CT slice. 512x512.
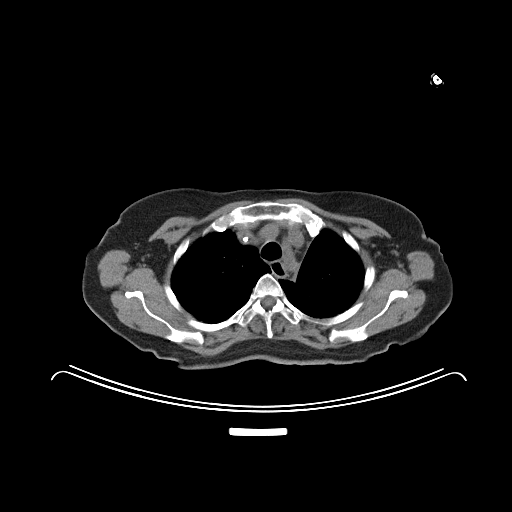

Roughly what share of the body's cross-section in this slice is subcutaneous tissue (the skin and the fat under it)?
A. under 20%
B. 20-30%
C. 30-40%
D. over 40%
Answer: C. 30-40%
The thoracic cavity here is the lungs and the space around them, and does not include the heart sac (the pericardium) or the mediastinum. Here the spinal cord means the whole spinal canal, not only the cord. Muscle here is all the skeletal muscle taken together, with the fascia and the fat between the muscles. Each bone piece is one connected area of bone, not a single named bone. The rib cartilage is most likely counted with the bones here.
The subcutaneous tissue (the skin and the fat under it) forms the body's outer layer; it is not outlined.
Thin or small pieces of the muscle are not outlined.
spinal cord: 266,296 271,296 272,297 273,297 275,299 275,302 274,303 274,304 270,308 268,308 267,309 266,308 265,308 262,305 262,304 261,303 261,300 264,297 265,297
torso: 177,187 357,190 397,201 417,215 425,233 439,244 453,279 451,303 419,338 403,345 392,344 364,362 298,365 254,359 221,368 179,368 172,360 142,351 113,332 87,306 81,289 87,251 121,211 141,197
bones 1: 266,273 278,280 295,307 315,318 332,317 356,302 363,302 352,316 330,326 303,319 292,324 277,312 272,316 271,338 267,337 264,318 256,314 245,326 233,323 204,331 202,344 194,340 173,342 164,337 170,332 168,327 150,316 137,297 125,296 126,291 140,290 151,312 176,329 194,331 186,322 189,317 210,324 226,320 246,303 258,279; inner edge: 266,296 271,296 272,297 273,297 275,299 275,302 274,303 274,304 270,308 268,308 267,309 266,308 265,308 262,305 262,304 261,303 261,300 264,297 265,297
bones 2: 264,200 281,203 299,203 318,215 325,222 326,227 322,228 314,237 310,235 302,223 289,225 285,220 272,219 251,222 247,225 237,224 221,232 211,231 202,236 202,232 207,226 223,214 228,213 233,208
bones 3: 394,289 406,290 407,296 405,298 403,297 395,298 380,316 368,324 365,329 368,334 367,338 364,340 355,342 345,337 338,337 333,342 329,340 328,337 332,328 339,330 358,327 377,314 384,307 390,292
bones 4: 370,264 372,264 375,267 375,277 374,278 374,280 373,281 373,282 372,283 372,284 370,286 370,287 366,291 363,291 362,290 362,289 363,288 363,282 364,281 364,276 365,275 365,268 367,266 368,266
bones 5: 188,236 190,238 190,244 188,246 187,249 184,252 184,253 178,259 178,260 176,262 176,263 173,266 173,264 172,263 172,259 173,258 173,254 174,253 176,248 182,241 182,240 183,240 186,237 187,237
bones 6: 165,283 169,283 170,284 171,289 173,291 173,292 174,293 176,298 180,303 181,306 184,309 184,310 183,311 179,311 171,303 170,303 170,302 168,300 168,299 166,296 165,291 164,290 164,284
bones 7: 343,230 345,230 346,231 347,231 356,240 356,241 358,243 358,244 359,245 359,249 360,250 359,251 359,253 358,253 357,252 356,252 349,245 348,245 346,243 346,242 344,240 344,239 341,236 341,232
mediastinum: 264,220 282,221 286,222 289,226 302,224 309,235 313,238 301,262 294,281 285,278 276,278 271,273 270,268 259,257 257,250 254,247 241,244 235,234 230,229 231,227 237,225 247,226 251,223 257,223
muscle 1: 290,197 305,199 332,212 367,218 384,228 390,238 376,236 371,239 380,271 397,267 399,262 405,263 406,254 411,251 426,251 434,261 434,275 425,283 427,297 422,310 413,319 369,337 366,330 369,324 380,317 395,299 408,296 406,289 394,288 383,307 362,324 330,329 327,337 331,343 338,338 352,343 317,349 296,340 271,339 273,316 277,313 292,325 303,320 330,327 349,319 364,304 362,300 356,301 361,291 366,292 376,277 376,267 372,263 364,267 359,254 360,245 347,230 343,229 340,235 336,233 327,227 322,217 299,202 270,200
muscle 2: 239,200 256,201 223,213 193,242 186,236 172,254 170,283 165,282 163,290 170,304 191,315 185,322 194,330 176,328 151,311 140,289 126,290 124,296 137,298 144,311 163,323 169,332 162,338 122,323 113,311 108,292 100,284 100,258 108,250 123,249 130,254 134,267 144,263 159,276 169,253 161,239 148,238 166,219 177,215 200,217
muscle 3: 256,315 260,315 263,318 266,330 265,333 267,338 257,338 240,341 213,356 202,356 178,344 183,342 194,341 197,344 202,345 205,340 203,334 204,332 211,333 226,328 233,324 238,324 241,327 245,327
thoracic cavity 1: 227,229 229,229 234,234 237,241 241,245 254,248 258,257 269,268 270,272 262,274 257,279 245,303 230,316 218,322 204,322 194,317 182,306 172,289 171,276 174,266 192,243 200,237 211,232 221,233
thoracic cavity 2: 324,228 327,228 339,235 345,243 359,255 364,268 364,275 362,288 353,304 345,310 335,315 328,317 315,317 304,312 295,306 288,299 279,282 279,279 285,279 293,282 296,280 298,272 310,245 314,238